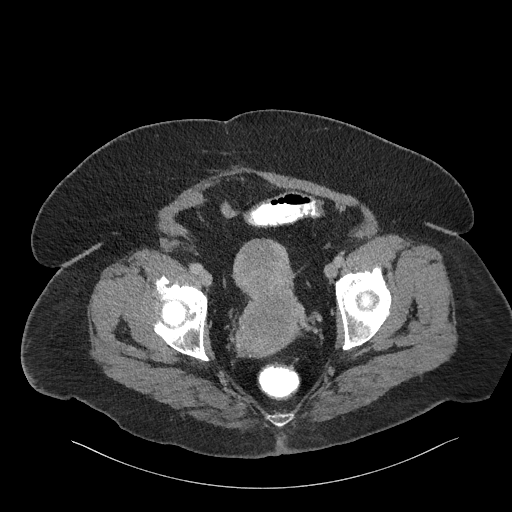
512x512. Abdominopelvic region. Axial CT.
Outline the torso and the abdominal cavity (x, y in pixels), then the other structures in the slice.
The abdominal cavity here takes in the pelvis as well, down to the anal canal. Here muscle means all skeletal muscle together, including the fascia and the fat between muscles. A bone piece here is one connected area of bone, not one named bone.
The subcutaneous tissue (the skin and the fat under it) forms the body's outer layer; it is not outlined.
Outlined structures:
torso: 268,108 353,124 432,159 461,184 474,212 461,236 511,307 511,353 490,395 445,401 343,444 232,458 146,440 75,398 36,391 20,346 28,314 57,270 40,264 30,245 36,215 54,187 133,128 227,120
abdominal cavity: 240,173 256,173 277,188 307,191 354,207 364,217 347,232 358,244 341,260 333,283 335,351 314,384 289,405 263,405 217,363 207,319 208,296 179,257 178,251 197,249 192,232 174,217 198,203 221,178
muscle: 235,166 290,175 355,196 367,203 388,232 435,247 443,256 455,302 458,339 450,359 368,405 295,429 241,431 216,426 181,415 106,376 89,354 86,315 101,271 129,251 155,241 154,217 159,207 216,169, around holes outlined by 240,173 360,210 363,221 347,232 358,244 339,274 379,265 391,295 379,329 347,350 335,310 335,351 289,405 263,405 217,363 207,319 209,361 179,352 153,329 157,278 204,286 179,257 197,249 174,217 and by 276,412 293,412 294,413 294,417 290,421 289,421 286,424 285,424 283,426 276,426 275,425 274,425 272,423 271,423 268,420 267,420 264,417 264,413 268,413 269,414 272,414 273,413 275,413
bones 1: 161,275 164,275 171,284 177,282 179,285 191,285 201,290 207,296 207,316 203,328 203,345 205,352 209,358 209,361 203,361 179,352 166,343 154,331 154,311 158,301 158,293 156,290 155,280
bones 2: 375,265 381,266 382,274 386,286 391,295 389,315 374,335 367,341 359,346 355,346 350,349 343,350 342,349 342,345 344,341 343,323 341,314 336,304 334,283 340,276 344,274 349,272 366,270 370,271
bones 3: 276,412 293,412 294,413 294,417 290,421 289,421 286,424 285,424 283,426 276,426 275,425 274,425 272,423 271,423 268,420 267,420 264,417 264,413 268,413 269,414 272,414 273,413 275,413